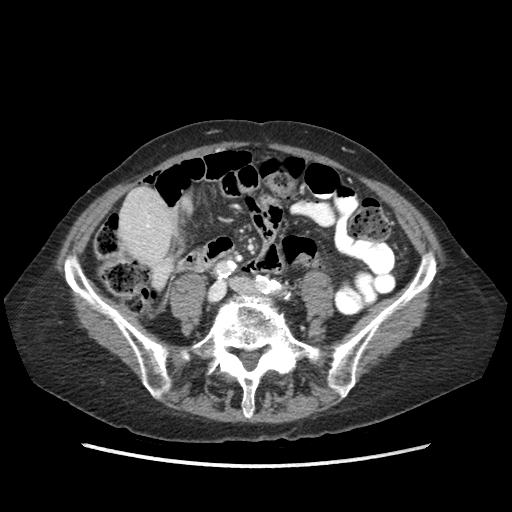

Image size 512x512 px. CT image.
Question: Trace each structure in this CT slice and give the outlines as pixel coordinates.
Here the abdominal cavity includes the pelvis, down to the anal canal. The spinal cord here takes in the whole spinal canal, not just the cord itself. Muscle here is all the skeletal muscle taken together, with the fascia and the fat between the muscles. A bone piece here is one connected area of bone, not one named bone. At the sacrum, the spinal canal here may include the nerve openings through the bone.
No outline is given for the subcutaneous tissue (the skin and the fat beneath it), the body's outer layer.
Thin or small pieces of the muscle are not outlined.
Answer: {"abdominal_cavity":[{"outer":[[246,146],[302,156],[355,178],[391,208],[417,253],[411,280],[340,337],[324,333],[334,311],[334,285],[323,271],[306,272],[299,288],[308,322],[305,341],[270,296],[230,295],[207,333],[192,344],[146,329],[84,271],[91,235],[138,180],[181,160]],"hole":[[184,274],[197,274],[201,276],[205,282],[205,295],[201,307],[201,316],[195,329],[188,336],[184,335],[180,331],[182,325],[180,323],[180,321],[172,313],[170,306],[170,298],[169,297],[170,296],[170,288],[172,285],[172,283],[178,277]]}],"muscle":[[[314,270],[329,276],[333,285],[333,311],[323,332],[328,340],[340,338],[372,306],[408,285],[396,299],[353,336],[333,345],[326,383],[338,395],[339,400],[343,400],[325,411],[282,423],[217,421],[162,405],[158,401],[172,387],[166,364],[169,348],[140,331],[106,302],[90,283],[91,281],[115,304],[133,313],[146,330],[172,343],[190,345],[176,350],[177,356],[184,362],[189,362],[194,357],[202,360],[211,359],[205,371],[208,376],[218,368],[219,373],[234,378],[242,389],[242,414],[250,418],[255,411],[256,390],[268,372],[284,375],[296,367],[298,360],[305,358],[314,364],[322,356],[322,350],[318,346],[304,339],[308,335],[309,322],[300,288],[305,274]],[[222,141],[276,142],[300,147],[390,186],[429,222],[444,250],[445,265],[437,272],[438,262],[430,249],[419,257],[392,208],[364,183],[338,168],[302,155],[265,145],[246,145],[181,159],[155,169],[138,179],[95,227],[83,249],[81,263],[73,251],[65,257],[62,266],[68,286],[93,310],[109,318],[117,327],[133,352],[144,388],[124,363],[78,326],[68,287],[55,270],[54,261],[78,216],[108,189],[173,155]],[[434,278],[433,287],[430,292],[430,303],[426,309],[427,314],[420,327],[415,329],[412,336],[403,341],[400,346],[394,349],[378,365],[364,374],[359,383],[350,392],[357,381],[357,370],[362,355],[381,324],[395,311],[405,306],[423,291]],[[184,274],[197,274],[201,276],[205,282],[205,295],[201,307],[201,316],[195,329],[188,336],[184,335],[180,331],[182,325],[180,323],[180,321],[172,313],[170,306],[170,298],[169,297],[170,296],[170,288],[172,285],[172,283],[178,277]]],"spinal_cord":[[[266,345],[267,345],[269,347],[269,349],[266,352],[261,354],[259,356],[255,367],[251,370],[247,370],[245,368],[240,358],[234,353],[229,352],[227,350],[227,349],[229,347],[233,347],[240,350],[252,351],[253,350],[259,350],[261,348],[263,348]]],"bones":[{"outer":[[230,296],[270,297],[293,335],[321,350],[314,363],[302,357],[287,373],[268,371],[255,390],[250,417],[243,414],[243,389],[234,377],[219,372],[218,367],[208,375],[211,358],[194,356],[184,361],[177,354],[179,348],[189,347],[208,333],[219,307]],"hole":[[266,345],[267,345],[269,347],[269,349],[266,352],[261,354],[259,356],[255,367],[251,370],[247,370],[245,368],[240,358],[234,353],[229,352],[227,350],[227,349],[229,347],[233,347],[240,350],[252,351],[253,350],[259,350],[261,348],[263,348]]},[[73,252],[77,255],[83,271],[96,293],[140,332],[152,340],[161,342],[168,348],[165,364],[167,373],[171,379],[171,387],[159,400],[155,399],[143,385],[134,352],[118,327],[109,317],[93,309],[88,302],[66,282],[63,268],[64,261],[66,257]],[[430,250],[433,252],[437,262],[437,269],[433,279],[423,290],[405,305],[395,310],[380,324],[358,362],[354,386],[340,400],[339,395],[327,383],[327,375],[331,366],[334,345],[336,343],[346,342],[353,337],[396,300],[414,277],[421,256]]],"torso":[[[224,118],[258,122],[294,120],[339,132],[375,153],[438,213],[506,299],[499,335],[479,379],[391,418],[340,433],[296,440],[279,438],[220,443],[166,441],[138,435],[83,412],[33,382],[12,335],[4,303],[5,294],[76,199],[140,145],[192,122]]]}